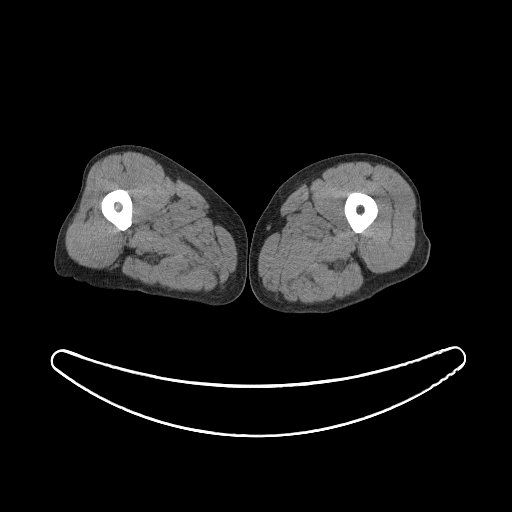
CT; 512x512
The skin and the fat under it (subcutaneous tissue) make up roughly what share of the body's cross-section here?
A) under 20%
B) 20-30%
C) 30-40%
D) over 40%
Answer: B) 20-30%
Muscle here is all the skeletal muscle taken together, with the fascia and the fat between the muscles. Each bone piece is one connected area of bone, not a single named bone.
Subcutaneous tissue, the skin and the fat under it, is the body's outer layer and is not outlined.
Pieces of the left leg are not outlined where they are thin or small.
The bones appear in 2 outlined pieces: piece 1: (353, 191) (360, 191) (371, 196) (375, 200) (378, 208) (378, 213) (375, 219) (372, 223) (368, 227) (367, 227) (363, 231) (363, 232) (361, 233) (356, 233) (351, 228) (350, 225) (348, 223) (348, 221) (344, 213) (344, 204) (347, 198) (347, 195) (349, 192) (352, 192); piece 2: (117, 188) (121, 188) (122, 189) (128, 190) (128, 193) (132, 201) (132, 216) (131, 217) (131, 225) (128, 228) (123, 231) (122, 230) (119, 230) (111, 222) (106, 219) (106, 218) (103, 215) (101, 211) (101, 207) (100, 206) (100, 203) (103, 197) (107, 193). The left leg is outlined by (352, 152) (372, 153) (385, 157) (402, 168) (413, 181) (420, 196) (424, 231) (431, 244) (427, 264) (419, 273) (382, 290) (370, 299) (330, 313) (290, 314) (265, 307) (256, 299) (247, 277) (248, 247) (251, 244) (257, 220) (278, 187) (294, 173) (324, 158). The muscle appears in 2 outlined pieces: piece 1: (351, 161) (367, 161) (386, 165) (399, 173) (409, 184) (416, 204) (414, 213) (416, 221) (416, 243) (410, 259) (402, 267) (394, 271) (370, 278) (357, 292) (343, 299) (320, 304) (286, 304) (272, 300) (264, 293) (259, 284) (258, 256) (282, 203) (303, 182) (338, 163), around a hole outlined by (353, 191) (360, 191) (371, 196) (375, 200) (378, 208) (378, 213) (375, 219) (372, 223) (368, 227) (367, 227) (363, 231) (363, 232) (361, 233) (356, 233) (351, 228) (350, 225) (348, 223) (348, 221) (344, 213) (344, 204) (347, 198) (347, 195) (349, 192) (352, 192); piece 2: (125, 151) (139, 152) (153, 158) (168, 172) (196, 189) (205, 198) (215, 216) (231, 234) (237, 251) (237, 263) (232, 279) (222, 291) (190, 292) (160, 288) (144, 284) (117, 272) (81, 266) (69, 257) (65, 247) (65, 235) (78, 210) (90, 168) (96, 161) (109, 154), around a hole outlined by (117, 188) (121, 188) (122, 189) (128, 190) (128, 193) (132, 201) (132, 216) (131, 217) (131, 225) (128, 228) (123, 231) (122, 230) (119, 230) (111, 222) (106, 219) (106, 218) (103, 215) (101, 211) (101, 207) (100, 206) (100, 203) (103, 197) (107, 193). The right leg is outlined by (122, 144) (145, 146) (171, 158) (202, 179) (240, 216) (247, 233) (248, 246) (245, 285) (235, 300) (225, 305) (212, 306) (138, 291) (101, 289) (85, 282) (77, 281) (71, 277) (63, 277) (57, 274) (54, 268) (57, 235) (77, 197) (84, 168) (88, 161) (101, 150).